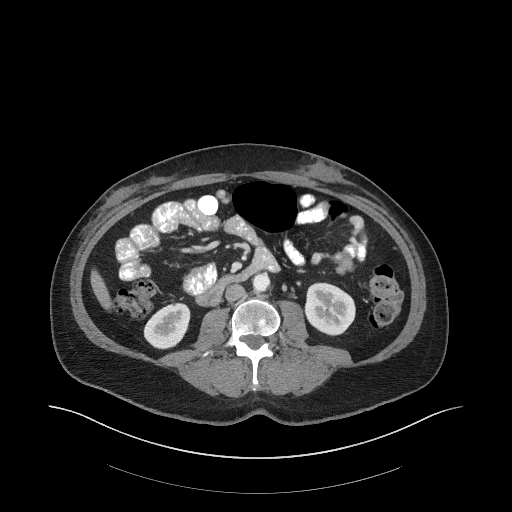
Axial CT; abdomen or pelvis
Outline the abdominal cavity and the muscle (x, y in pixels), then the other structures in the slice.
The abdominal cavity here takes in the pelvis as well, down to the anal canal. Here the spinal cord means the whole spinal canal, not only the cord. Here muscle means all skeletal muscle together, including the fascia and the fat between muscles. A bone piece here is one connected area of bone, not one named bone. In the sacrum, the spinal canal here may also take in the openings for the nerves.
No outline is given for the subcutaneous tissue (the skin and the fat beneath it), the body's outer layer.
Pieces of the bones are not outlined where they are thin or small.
Outlined structures:
abdominal cavity: 354 360; 399 333; 410 282; 387 232; 335 196; 252 177; 171 191; 116 222; 86 263; 82 293; 93 321; 115 341; 150 356; 190 347; 210 309; 224 308; 230 318; 240 301; 259 297; 277 308; 281 299; 299 303; 307 342; 345 348
muscle: 219 399; 240 398; 253 386; 249 359; 237 356; 233 347; 224 346; 230 334; 228 312; 221 308; 210 310; 190 348; 159 358; 115 342; 95 325; 82 299; 84 266; 97 241; 116 221; 150 199; 171 190; 240 176; 313 188; 340 197; 369 215; 388 232; 406 261; 411 282; 406 323; 397 337; 379 352; 354 361; 345 349; 308 344; 301 306; 290 300; 278 301; 282 320; 273 336; 274 355; 259 362; 257 390; 296 397; 322 385; 340 368; 388 358; 405 347; 420 327; 426 307; 421 261; 407 233; 381 206; 296 172; 206 173; 165 183; 130 198; 86 234; 71 268; 70 302; 74 318; 87 338; 107 351; 171 369; 192 386, around a hole outlined by 202 356; 203 356; 204 356; 205 356; 206 356; 207 355; 208 354; 209 354; 210 354; 211 354; 212 353; 212 352; 212 351; 211 350; 210 350; 209 350; 208 350; 207 350; 206 351; 205 351; 204 352; 203 353; 202 354; 201 355
torso: 294 426; 372 410; 425 387; 439 371; 449 331; 447 289; 437 254; 420 226; 390 195; 358 171; 315 153; 273 144; 199 148; 153 163; 112 184; 73 226; 54 264; 49 291; 50 330; 63 369; 87 386; 157 415; 229 425; 261 414
spinal cord: 253 349; 256 349; 257 348; 258 348; 264 342; 264 341; 265 340; 265 338; 264 337; 262 337; 261 336; 260 336; 259 335; 247 335; 246 336; 244 336; 243 337; 242 337; 242 340; 244 342; 245 342; 251 348; 252 348
bones: 253 390; 256 390; 258 384; 258 362; 265 356; 273 355; 271 349; 272 336; 277 331; 281 320; 277 309; 268 301; 259 298; 250 298; 236 306; 230 319; 231 334; 225 343; 225 346; 233 346; 237 355; 246 356; 250 359; 253 371, around a hole outlined by 253 349; 256 349; 257 348; 258 348; 264 342; 264 341; 265 340; 265 338; 264 337; 262 337; 261 336; 260 336; 259 335; 247 335; 246 336; 244 336; 243 337; 242 337; 242 340; 244 342; 245 342; 251 348; 252 348